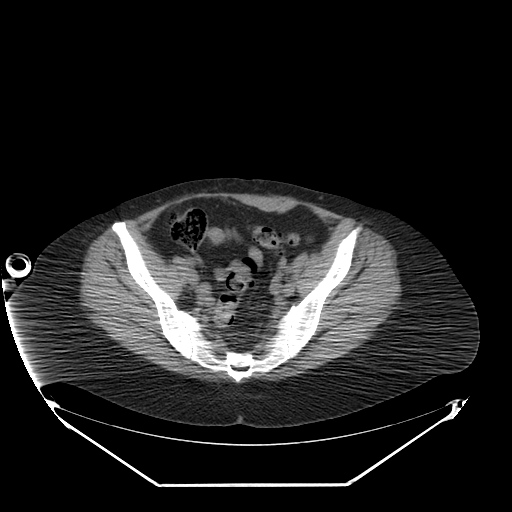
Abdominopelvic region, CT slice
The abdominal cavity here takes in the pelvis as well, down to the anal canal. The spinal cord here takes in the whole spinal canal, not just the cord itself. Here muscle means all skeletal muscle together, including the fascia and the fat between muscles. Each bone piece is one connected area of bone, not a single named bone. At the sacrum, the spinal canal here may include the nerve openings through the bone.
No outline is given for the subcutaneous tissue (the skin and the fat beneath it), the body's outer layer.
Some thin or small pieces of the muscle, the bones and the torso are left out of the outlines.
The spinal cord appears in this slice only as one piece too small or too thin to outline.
Outlines (x, y in pixels):
bones: 116,221 125,222 154,280 179,309 197,318 220,355 226,350 263,354 280,318 325,275 340,241 356,226 361,230 350,267 326,298 307,343 270,371 236,382 225,370 181,355 162,334 153,300 128,270 111,228
abdominal cavity: 202,197 230,198 274,213 284,213 301,205 326,226 328,238 323,243 304,250 291,260 289,270 301,299 278,320 270,320 251,350 231,349 218,331 178,307 176,302 191,266 182,257 164,257 146,235 168,207
torso: 214,177 272,179 337,194 385,209 421,231 445,256 475,305 480,341 473,361 459,372 436,376 358,411 275,428 179,423 124,408 63,382 34,381 10,323 6,279 12,277 19,284 46,245 92,215 168,185
muscle 1: 199,192 290,196 365,222 397,252 402,289 399,307 372,339 326,365 278,381 236,383 255,372 270,372 294,358 308,343 316,333 327,298 351,267 362,226 356,225 339,241 326,272 301,298 290,270 292,260 329,238 326,223 308,207 298,204 284,212 265,211 219,196 170,205 145,235 164,258 182,258 190,266 175,301 155,280 126,222 121,220
muscle 2: 111,223 110,228 119,240 128,272 135,283 149,296 154,304 161,334 181,356 213,372 225,371 235,382 206,381 194,377 177,375 150,364 117,347 100,335 89,324 82,315 78,303 79,272 88,246
muscle 3: 201,323 204,323 206,324 208,326 211,327 217,332 218,332 223,337 228,347 230,349 226,349 224,351 223,354 220,354 218,353 215,350 215,348 214,347 214,343 212,341 210,341 208,340 202,333 201,331
muscle 4: 271,320 277,320 277,324 276,325 276,332 275,334 272,337 272,338 266,343 264,347 264,351 263,353 254,353 252,351 253,347 256,344 259,338 262,335 263,332 265,330 265,329 267,327 267,326 269,324